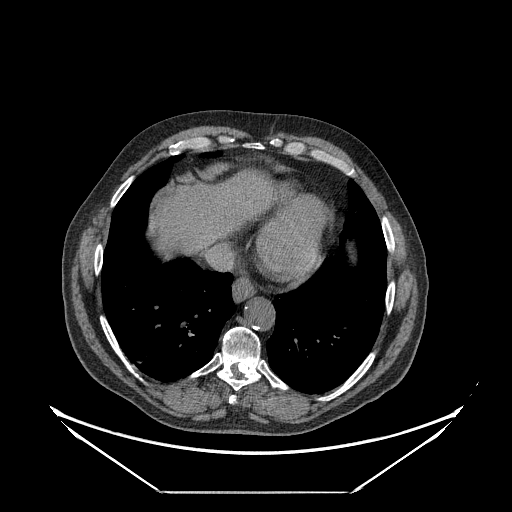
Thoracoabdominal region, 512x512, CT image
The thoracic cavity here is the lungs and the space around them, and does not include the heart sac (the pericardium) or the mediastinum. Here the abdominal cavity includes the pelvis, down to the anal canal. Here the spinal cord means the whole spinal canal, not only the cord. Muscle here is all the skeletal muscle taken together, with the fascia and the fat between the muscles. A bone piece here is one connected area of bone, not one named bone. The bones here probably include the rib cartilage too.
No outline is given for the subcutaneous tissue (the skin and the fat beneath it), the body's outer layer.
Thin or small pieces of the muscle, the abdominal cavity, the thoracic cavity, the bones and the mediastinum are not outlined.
Outlines:
mediastinum 1: [[245,230],[242,241],[242,256],[246,270],[258,288],[271,294],[278,294],[272,300],[275,310],[273,331],[263,347],[259,336],[245,325],[231,326],[222,333],[225,322],[236,311],[231,288],[233,275],[229,271],[204,269],[192,259],[225,240],[241,238]]
mediastinum 2: [[234,147],[261,151],[275,150],[296,158],[312,159],[328,164],[351,178],[346,183],[348,212],[338,235],[339,248],[335,253],[326,257],[336,229],[337,211],[336,202],[326,183],[318,176],[293,167],[282,166],[273,171],[267,161],[223,156],[220,148]]
abdominal cavity 1: [[198,153],[201,153],[199,156],[205,160],[222,156],[239,160],[267,162],[276,186],[273,203],[243,231],[241,237],[225,239],[191,259],[178,257],[162,262],[154,256],[145,239],[150,204],[156,192],[170,179],[173,165],[181,160],[184,154]]
abdominal cavity 2: [[349,238],[356,238],[356,239],[357,240],[357,251],[358,252],[358,262],[357,263],[357,265],[354,268],[352,268],[351,269],[342,269],[340,266],[341,265],[342,262],[344,260],[344,246],[345,245],[345,242],[346,241],[346,240],[347,240]]
spinal cord: [[235,363],[236,363],[237,364],[237,368],[238,369],[238,370],[242,374],[242,376],[241,377],[240,377],[239,378],[237,378],[236,377],[235,377],[234,376],[234,374],[232,372],[232,371],[231,370],[231,366],[233,364],[234,364]]
muscle: [[209,125],[211,126],[228,126],[232,128],[236,128],[240,130],[243,130],[251,135],[257,137],[264,136],[271,132],[282,131],[297,136],[315,136],[331,142],[346,152],[352,160],[372,181],[374,185],[383,196],[385,201],[387,202],[405,236],[405,239],[408,246],[408,252],[411,261],[411,265],[415,273],[415,277],[417,282],[417,291],[418,292],[418,297],[417,298],[418,301],[417,302],[417,308],[416,309],[414,324],[408,340],[403,346],[393,363],[375,381],[366,386],[350,398],[310,420],[300,422],[299,423],[290,423],[289,424],[263,423],[251,419],[243,410],[240,409],[234,409],[222,417],[215,418],[214,419],[209,419],[208,420],[194,420],[185,417],[179,417],[172,415],[165,411],[161,410],[150,403],[135,390],[124,383],[103,364],[101,360],[87,344],[75,317],[73,304],[71,300],[71,268],[73,265],[73,260],[81,235],[90,222],[94,213],[116,185],[124,172],[125,172],[132,164],[140,159],[151,148],[157,145],[162,140],[175,133],[177,133],[179,131],[188,129],[192,127],[208,126]] with holes at [[219,135],[233,136],[236,140],[223,144],[215,141],[209,151],[260,141],[266,150],[280,153],[280,148],[268,144],[270,139],[279,138],[299,141],[308,148],[342,159],[354,169],[353,179],[377,216],[385,215],[390,223],[395,251],[387,253],[386,278],[388,282],[394,279],[395,294],[390,314],[383,314],[372,346],[377,350],[376,355],[351,387],[329,401],[316,400],[321,394],[272,387],[263,376],[236,391],[214,372],[162,382],[137,368],[148,383],[145,385],[126,368],[102,329],[99,320],[99,315],[104,313],[101,275],[95,275],[94,253],[99,242],[104,247],[107,242],[114,209],[110,208],[113,194],[130,175],[137,177],[168,158],[170,144],[197,136],[214,139]] and at [[234,393],[237,396],[237,402],[235,404],[230,404],[228,402],[228,399],[229,398],[229,396],[231,394],[233,394]]
torso: [[208,109],[303,115],[353,134],[387,171],[413,219],[425,252],[429,281],[426,316],[408,371],[398,384],[375,400],[306,433],[289,436],[199,433],[166,426],[93,379],[78,360],[67,334],[61,257],[66,230],[75,212],[119,151],[137,133],[162,119]]
bones 1: [[234,326],[245,326],[251,329],[258,336],[261,342],[261,356],[270,369],[290,387],[288,390],[272,387],[263,376],[258,381],[246,384],[236,391],[214,372],[191,379],[188,378],[191,373],[203,366],[212,358],[214,353],[220,348],[220,337],[222,334]]; inner edge: [[235,363],[236,363],[237,364],[237,368],[238,369],[238,370],[242,374],[242,376],[241,377],[240,377],[239,378],[237,378],[236,377],[235,377],[234,376],[234,374],[232,372],[232,371],[231,370],[231,366],[233,364],[234,364]]
bones 2: [[272,138],[279,138],[287,142],[299,141],[304,143],[308,148],[317,148],[323,150],[345,161],[354,169],[356,175],[354,178],[352,178],[346,175],[336,167],[328,163],[313,159],[306,154],[293,156],[281,153],[280,148],[277,148],[268,144],[268,141]]
bones 3: [[219,135],[227,135],[228,136],[235,137],[236,140],[232,143],[224,143],[221,144],[215,141],[209,149],[206,151],[187,149],[183,152],[176,155],[170,155],[169,156],[167,154],[169,145],[175,143],[179,140],[196,137],[197,136],[207,136],[214,139]]
bones 4: [[372,349],[376,349],[377,350],[377,352],[373,362],[366,372],[351,387],[350,387],[343,393],[340,394],[338,396],[333,398],[329,401],[319,401],[318,400],[316,400],[316,398],[317,397],[322,395],[328,394],[340,386],[356,370],[356,369],[361,364]]
bones 5: [[100,314],[104,314],[111,328],[111,330],[121,350],[123,352],[124,355],[132,364],[135,365],[137,372],[148,383],[147,385],[143,384],[126,368],[122,361],[119,358],[119,357],[111,347],[102,329],[102,327],[101,326],[101,324],[99,320],[99,315]]
bones 6: [[382,215],[385,215],[387,217],[392,228],[392,233],[393,234],[394,240],[395,241],[395,251],[393,253],[390,253],[388,252],[386,247],[386,243],[385,242],[385,239],[384,238],[384,235],[383,234],[383,231],[381,226],[381,222],[380,221],[380,217]]
bones 7: [[132,174],[133,174],[135,176],[135,178],[130,184],[128,188],[124,192],[124,193],[119,199],[119,200],[117,202],[115,206],[113,208],[110,208],[110,201],[111,200],[111,198],[113,194],[116,191],[116,190],[118,188],[120,184],[122,183],[130,175]]
bones 8: [[391,279],[394,279],[394,280],[395,281],[395,294],[394,295],[394,300],[393,301],[393,304],[392,305],[392,308],[391,309],[390,314],[389,315],[387,315],[385,312],[385,296],[386,295],[386,290],[387,289],[387,285],[388,284],[388,282]]
bones 9: [[99,242],[100,242],[102,244],[102,245],[103,246],[103,260],[102,261],[102,266],[101,267],[101,270],[100,271],[100,274],[98,276],[96,276],[95,275],[95,271],[94,270],[94,253],[95,252],[95,248],[96,247],[96,245]]
bones 10: [[254,141],[260,141],[261,142],[262,142],[265,145],[265,146],[266,147],[265,148],[265,149],[262,149],[261,150],[260,149],[254,149],[253,148],[245,148],[244,147],[243,147],[242,146],[242,144],[243,143],[244,143],[245,142],[253,142]]
pericardium: [[282,167],[289,167],[311,174],[325,183],[335,202],[335,229],[331,239],[331,245],[326,256],[315,271],[300,286],[283,293],[271,293],[258,287],[247,270],[243,256],[243,241],[246,229],[273,206],[277,190],[277,186],[273,178],[273,172],[274,170]]
thoracic cavity 1: [[182,153],[183,157],[172,165],[167,182],[151,198],[145,242],[162,263],[188,258],[204,270],[229,272],[235,311],[224,322],[219,348],[208,361],[185,377],[162,382],[142,373],[122,350],[104,313],[101,271],[112,212],[120,199],[136,177],[150,166]]
thoracic cavity 2: [[350,179],[362,189],[379,218],[387,251],[384,313],[371,350],[355,370],[330,391],[322,394],[304,393],[292,388],[271,369],[262,356],[262,346],[264,347],[274,331],[274,298],[300,287],[320,268],[326,258],[340,248],[339,235],[349,212],[347,183]]; inner edge: [[349,238],[356,238],[356,239],[357,240],[357,251],[358,252],[358,262],[357,263],[357,265],[354,268],[352,268],[351,269],[342,269],[340,266],[341,265],[342,262],[344,260],[344,246],[345,245],[345,242],[346,241],[346,240],[347,240]]